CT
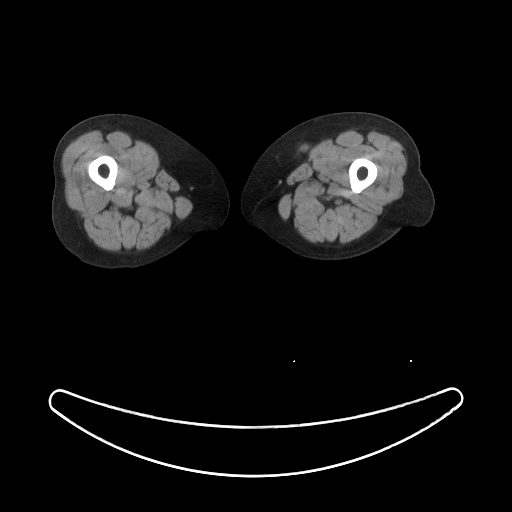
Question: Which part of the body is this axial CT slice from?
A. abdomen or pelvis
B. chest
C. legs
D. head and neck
Answer: C. legs
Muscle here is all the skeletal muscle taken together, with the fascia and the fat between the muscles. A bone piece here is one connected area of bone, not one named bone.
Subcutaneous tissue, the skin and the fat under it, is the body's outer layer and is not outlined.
The left leg is outlined by 341,111 365,111 380,114 392,119 409,133 419,151 421,171 433,191 434,211 426,225 422,227 404,227 385,243 365,254 343,260 310,259 294,253 262,231 252,227 241,211 241,193 256,160 280,135 307,119. The muscle appears in 2 outlined pieces: piece 1: 96,127 121,130 130,135 142,138 152,144 177,173 193,205 192,211 184,220 179,221 153,246 145,251 122,255 110,255 101,251 79,228 77,214 68,207 65,201 64,178 61,170 61,158 64,149 79,135 with a hole at 101,155 103,155 104,156 110,155 112,156 118,164 118,172 116,176 116,179 115,180 115,184 113,188 111,190 105,190 102,187 96,184 89,177 88,173 87,172 87,165 89,164 93,160 93,159; piece 2: 353,127 378,128 396,138 401,143 404,147 403,152 407,157 407,169 403,176 404,191 400,198 390,204 374,227 358,239 339,247 327,249 318,248 298,239 283,225 276,214 278,202 287,176 312,145 329,135 with a hole at 357,157 365,157 371,160 377,167 377,176 375,180 370,185 369,185 366,188 362,190 359,193 353,193 351,191 351,187 350,186 350,183 349,182 349,175 348,174 348,169 352,161 355,158. The right leg is outlined by 104,113 128,113 155,121 205,154 219,171 229,195 229,211 222,225 214,231 198,232 165,257 135,268 106,269 95,267 83,263 66,250 55,233 51,219 54,151 60,138 70,127 85,118. The bones appear in 2 outlined pieces: piece 1: 101,155 103,155 104,156 110,155 112,156 118,164 118,172 116,176 116,179 115,180 115,184 113,188 111,190 105,190 102,187 96,184 89,177 88,173 87,172 87,165 89,164 93,160 93,159; piece 2: 357,157 365,157 371,160 377,167 377,176 375,180 370,185 369,185 366,188 362,190 359,193 353,193 351,191 351,187 350,186 350,183 349,182 349,175 348,174 348,169 352,161 355,158.